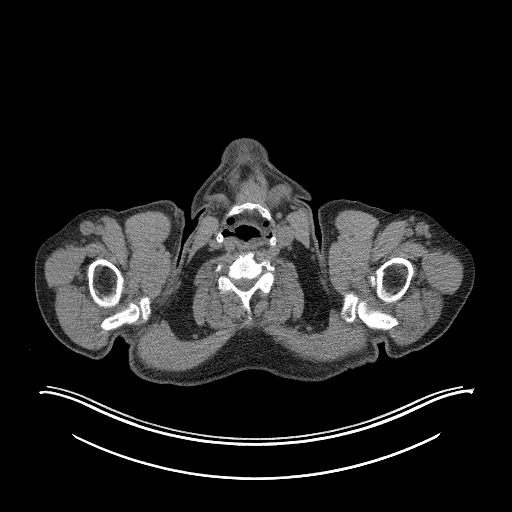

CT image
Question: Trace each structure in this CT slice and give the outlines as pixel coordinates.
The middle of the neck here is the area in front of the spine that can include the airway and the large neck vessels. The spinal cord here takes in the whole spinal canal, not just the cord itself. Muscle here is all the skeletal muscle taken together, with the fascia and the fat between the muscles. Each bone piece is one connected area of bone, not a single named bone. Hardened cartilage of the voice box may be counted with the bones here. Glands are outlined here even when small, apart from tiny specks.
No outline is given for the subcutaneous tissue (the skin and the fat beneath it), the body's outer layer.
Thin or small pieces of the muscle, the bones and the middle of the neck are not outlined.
Answer: left arm: 338,198 361,201 392,213 396,213 403,208 425,212 463,243 471,252 475,266 473,287 448,329 430,344 399,358 389,357 382,342 378,343 375,341 350,319 326,283 322,266 321,232 317,210 322,203
spinal cord: 241,278 244,278 245,279 256,279 256,280 255,281 254,284 251,287 250,287 248,289 247,289 246,290 243,290 242,289 240,289 238,287 237,287 234,284 234,283 233,282 233,280 237,280 238,279 240,279
submandibular glands 1: 278,185 281,185 282,186 284,185 289,185 289,186 291,187 291,191 290,193 284,196 281,199 281,201 279,203 278,203 276,205 270,205 268,203 268,201 267,200 267,195 268,194 268,192 274,186 277,186
submandibular glands 2: 209,195 225,195 225,197 226,198 226,199 227,200 227,203 226,204 223,204 222,203 221,203 219,201 206,201 206,198
right arm: 154,200 175,203 184,209 187,217 183,227 182,243 175,270 163,290 123,340 120,337 114,340 107,355 101,359 92,359 71,350 60,342 48,328 36,301 34,262 38,248 48,237 83,211 94,208 123,210
torso: 164,288 170,320 179,329 241,336 265,336 305,326 332,293 349,319 378,344 379,355 372,364 366,364 317,382 286,379 258,369 243,370 221,379 195,386 179,386 147,381 136,376 129,369 128,346 124,339
head and neck: 243,136 258,140 266,148 271,162 311,195 307,203 320,246 324,280 331,292 307,324 265,335 225,334 179,328 171,320 165,287 176,270 182,244 197,223 197,216 189,218 190,204 198,188 218,165 226,145
muscle: 240,144 253,146 261,164 288,184 274,185 267,203 276,206 290,194 308,216 310,246 295,241 283,248 298,263 306,333 326,328 330,304 339,304 327,255 337,235 334,217 344,209 384,225 414,216 429,224 434,245 461,258 462,282 445,296 437,321 407,345 373,332 365,349 330,362 298,358 260,329 245,328 185,371 146,367 131,327 97,350 72,341 55,314 46,256 74,240 83,220 108,215 122,223 147,210 173,221 165,242 171,269 158,306 179,338 204,336 191,297 197,270 219,251 204,246 186,264 188,249 206,203 228,203 225,194 204,194, around holes outlined by 247,251 252,251 258,261 268,259 275,267 274,282 269,292 257,289 250,299 251,320 248,320 248,314 243,309 240,298 233,291 220,292 217,284 220,274 214,271 220,262 223,265 222,271 225,272 240,252 and by 246,202 257,203 268,209 272,218 270,227 271,231 275,234 275,245 273,246 268,244 254,249 240,249 234,247 230,249 226,245 225,238 221,242 217,241 217,234 228,227 226,222 227,213 234,205 240,205 and by 396,256 399,256 400,257 403,257 408,259 412,263 414,271 413,272 409,286 401,299 392,303 384,303 376,296 375,288 371,286 369,281 369,277 372,275 374,273 375,270 384,262 390,258 395,257 and by 97,258 104,258 111,262 116,266 123,276 123,278 124,279 124,288 122,292 120,302 116,307 114,307 113,308 104,308 103,307 100,307 93,301 89,293 89,289 88,288 88,277 87,276 88,265 92,261 and by 346,292 352,292 357,296 359,300 366,300 373,309 380,309 384,312 391,314 397,319 398,321 397,325 387,330 381,330 380,329 371,329 369,328 358,317 352,322 346,322 340,316 339,313 342,304 343,293 and by 144,296 148,296 151,299 151,314 149,319 147,321 143,322 139,318 134,323 125,324 115,329 103,330 101,328 100,326 101,322 107,316 117,310 120,306 125,305 129,302 133,302 135,304 137,304 140,299
middle of the neck: 246,210 249,211 256,210 263,218 270,223 272,233 269,238 269,244 261,247 256,247 254,249 240,249 234,247 230,249 226,245 226,239 225,238 224,240 222,233 222,231 228,227 226,222 227,218 240,214
bones 1: 247,251 252,251 258,261 268,259 275,267 274,282 269,292 257,289 250,299 251,320 248,320 248,314 243,309 240,298 233,291 220,292 217,284 220,274 214,271 220,262 223,265 222,271 225,272 240,252; inner edge: 241,278 244,278 245,279 256,279 256,280 255,281 254,284 251,287 250,287 248,289 247,289 246,290 243,290 242,289 240,289 238,287 237,287 234,284 234,283 233,282 233,280 237,280 238,279 240,279
bones 2: 396,256 399,256 400,257 403,257 408,259 412,263 414,271 413,272 409,286 401,299 392,303 384,303 376,296 375,288 371,286 369,281 369,277 372,275 374,273 375,270 384,262 390,258 395,257
bones 3: 97,258 104,258 111,262 116,266 123,276 123,278 124,279 124,288 122,292 120,302 116,307 114,307 113,308 104,308 103,307 100,307 93,301 89,293 89,289 88,288 88,277 87,276 88,265 92,261
bones 4: 346,292 352,292 357,296 359,300 366,300 373,309 380,309 384,312 391,314 397,319 398,321 397,325 387,330 381,330 380,329 371,329 369,328 358,317 352,322 346,322 340,316 339,313 342,304 343,293
bones 5: 144,296 148,296 151,299 151,314 149,319 147,321 143,322 139,318 134,323 125,324 115,329 103,330 101,328 100,326 101,322 107,316 117,310 120,306 125,305 129,302 133,302 135,304 137,304 140,299
bones 6: 246,202 257,203 263,207 267,208 272,218 272,222 271,223 267,219 263,217 256,209 250,209 249,210 248,209 246,209 240,213 238,213 237,214 235,214 234,215 227,217 226,216 227,213 234,205 240,205